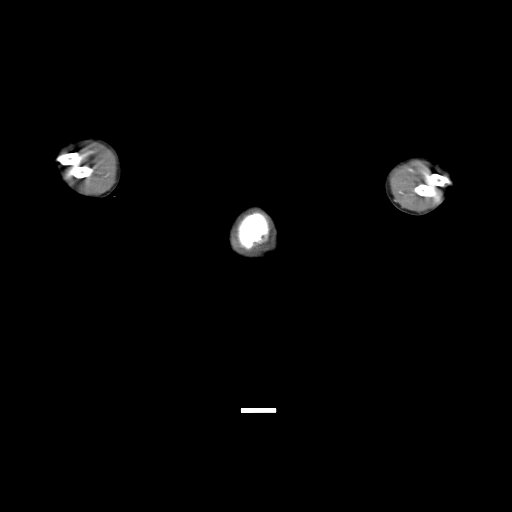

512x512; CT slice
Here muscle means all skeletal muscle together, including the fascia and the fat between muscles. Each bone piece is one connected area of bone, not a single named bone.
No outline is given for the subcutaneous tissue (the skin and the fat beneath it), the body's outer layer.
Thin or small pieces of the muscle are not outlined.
Outlines (x, y in pixels):
left arm: 413,156 431,158 435,161 448,166 452,170 454,174 455,185 452,188 449,194 445,198 441,205 430,213 422,216 413,216 406,214 398,210 390,202 386,196 384,190 384,175 386,172 386,170 395,162 401,159
bones 1: 255,210 261,210 265,212 268,215 269,217 269,226 270,227 270,231 269,232 268,238 264,242 259,244 256,244 251,249 247,250 241,247 237,241 237,237 236,236 236,233 237,232 237,224 245,214 252,212
bones 2: 67,152 77,152 80,154 83,154 84,158 81,163 84,165 87,165 93,169 91,174 87,177 83,177 82,178 76,178 73,176 71,176 68,172 70,166 69,165 62,165 56,160 56,157 59,154 66,153
bones 3: 430,173 438,173 442,175 445,175 451,180 451,183 446,185 444,187 438,186 436,188 437,189 436,190 436,194 435,196 433,197 426,197 417,194 414,191 414,188 418,184 423,183 424,182 425,176 427,174
muscle 1: 86,140 104,145 113,153 115,158 114,180 107,190 99,194 84,194 78,191 64,179 58,164 69,166 67,172 71,177 76,179 89,177 94,169 82,163 85,158 83,153 77,151 61,153 62,149 67,146
muscle 2: 413,160 425,161 439,168 447,175 438,172 427,173 423,178 423,182 418,183 413,188 413,191 417,195 433,198 437,194 438,187 444,188 450,185 439,204 421,212 407,209 397,202 390,185 390,176 393,170
muscle 3: 251,208 260,209 255,209 245,213 236,224 235,233 236,241 241,248 249,251 256,245 264,243 269,238 271,231 270,218 275,228 274,244 270,248 255,255 240,253 234,249 230,241 230,233 237,218 242,213
right arm: 83,137 96,137 103,139 113,145 119,154 122,169 121,170 121,177 112,194 109,196 106,196 99,199 90,199 82,197 71,191 60,180 58,176 55,165 52,162 53,158 52,150 57,145 70,140 74,140
head and neck: 252,204 256,204 264,208 273,217 275,220 275,222 277,224 277,227 279,230 279,246 277,250 265,259 259,261 250,261 249,260 248,261 236,257 228,248 227,240 226,239 228,229 232,223 235,216 243,208